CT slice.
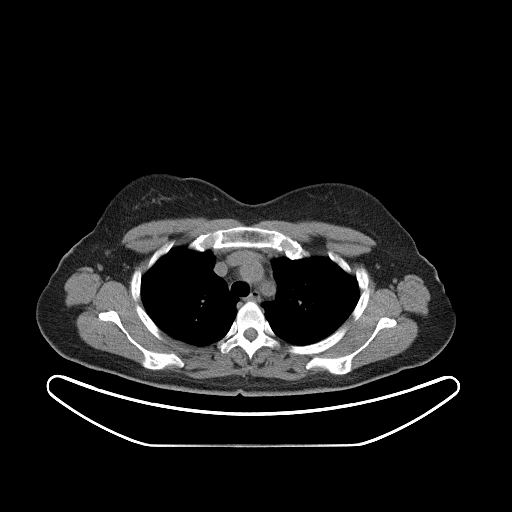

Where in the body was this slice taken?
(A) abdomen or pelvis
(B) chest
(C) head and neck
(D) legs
(B) chest
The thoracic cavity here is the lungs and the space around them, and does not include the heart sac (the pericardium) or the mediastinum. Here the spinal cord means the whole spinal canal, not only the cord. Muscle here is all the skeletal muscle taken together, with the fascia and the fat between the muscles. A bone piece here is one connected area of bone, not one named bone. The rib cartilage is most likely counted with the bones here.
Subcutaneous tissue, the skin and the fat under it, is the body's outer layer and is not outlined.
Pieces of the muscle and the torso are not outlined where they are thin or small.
Outlined structures:
bones 1: (241, 225) (250, 225) (281, 232) (299, 243) (309, 253) (310, 256) (303, 257) (299, 259) (290, 259) (281, 252) (267, 247) (263, 248) (227, 247) (218, 249) (207, 249) (204, 251) (190, 249) (187, 246) (201, 234) (205, 234) (208, 232) (212, 232) (219, 229) (226, 229)
bones 2: (248, 301) (253, 301) (260, 307) (263, 312) (264, 317) (279, 340) (280, 346) (278, 348) (273, 349) (268, 346) (262, 346) (256, 350) (251, 359) (249, 359) (246, 352) (240, 346) (235, 346) (227, 353) (223, 354) (216, 347) (215, 343) (226, 334) (236, 317) (238, 309); inner edge: (249, 328) (253, 328) (256, 331) (256, 332) (257, 333) (257, 334) (256, 335) (256, 336) (253, 339) (252, 339) (251, 340) (250, 340) (249, 339) (248, 339) (246, 337) (245, 337) (245, 336) (244, 335) (244, 332) (247, 329) (248, 329)
bones 3: (384, 316) (395, 319) (396, 324) (377, 332) (352, 358) (352, 369) (348, 373) (333, 374) (319, 366) (307, 369) (306, 364) (315, 354) (294, 354) (287, 351) (289, 345) (316, 343) (346, 324) (347, 330) (340, 340) (316, 355) (326, 358) (347, 355) (369, 338) (379, 319)
bones 4: (109, 310) (117, 312) (122, 325) (136, 342) (150, 351) (164, 353) (173, 352) (181, 359) (184, 364) (183, 366) (179, 367) (175, 365) (168, 365) (158, 370) (143, 367) (141, 364) (144, 359) (143, 353) (127, 338) (114, 322) (109, 320) (101, 320) (98, 317) (100, 312)
bones 5: (328, 250) (332, 251) (343, 258) (353, 271) (357, 267) (364, 267) (368, 273) (369, 279) (368, 287) (370, 292) (369, 298) (365, 308) (356, 320) (353, 320) (351, 316) (351, 313) (360, 296) (360, 289) (356, 277) (353, 274) (343, 270) (335, 262) (331, 260) (327, 256)
bones 6: (138, 266) (140, 266) (142, 272) (141, 283) (140, 284) (140, 300) (138, 303) (143, 307) (144, 310) (149, 317) (161, 330) (161, 335) (163, 339) (159, 339) (157, 338) (146, 327) (140, 319) (136, 311) (135, 308) (136, 302) (133, 299) (131, 295) (130, 280) (134, 269)
bones 7: (172, 239) (174, 239) (175, 240) (175, 243) (174, 244) (174, 246) (172, 247) (169, 250) (168, 252) (162, 255) (152, 265) (152, 266) (150, 268) (146, 270) (146, 266) (152, 254) (157, 249) (158, 249) (165, 243) (166, 243) (168, 241)
muscle 1: (83, 266) (125, 285) (130, 276) (135, 311) (159, 340) (164, 339) (162, 331) (193, 346) (214, 343) (223, 355) (240, 347) (251, 360) (262, 347) (278, 349) (280, 339) (290, 344) (290, 354) (315, 355) (305, 364) (307, 370) (319, 367) (332, 374) (298, 380) (250, 374) (193, 378) (159, 370) (182, 368) (182, 359) (173, 351) (144, 347) (114, 309) (100, 311) (97, 317) (114, 323) (142, 353) (141, 366) (96, 349) (79, 337) (64, 301) (66, 280)
muscle 2: (262, 220) (316, 220) (347, 226) (368, 235) (376, 245) (360, 260) (369, 271) (378, 289) (395, 287) (407, 274) (419, 276) (429, 291) (430, 300) (428, 312) (410, 347) (352, 371) (353, 358) (380, 330) (397, 324) (395, 318) (384, 315) (368, 338) (353, 351) (335, 357) (317, 355) (341, 340) (348, 330) (344, 323) (350, 315) (356, 321) (363, 313) (371, 292) (369, 287) (369, 273) (364, 266) (357, 266) (353, 270) (343, 257) (330, 249) (326, 255) (311, 255) (281, 231) (251, 225)
muscle 3: (196, 216) (204, 216) (208, 218) (233, 218) (245, 224) (219, 228) (201, 233) (187, 245) (175, 246) (176, 240) (172, 238) (151, 254) (143, 273) (140, 265) (136, 266) (132, 272) (138, 256) (133, 251) (121, 244) (124, 234) (129, 229) (140, 223) (156, 219)
torso: (156, 171) (202, 178) (246, 203) (325, 181) (367, 190) (400, 221) (421, 254) (395, 276) (398, 313) (420, 330) (455, 329) (449, 342) (430, 361) (365, 384) (281, 396) (164, 389) (62, 357) (36, 318) (72, 320) (96, 303) (99, 269) (73, 245) (93, 229) (120, 188)
mediastinum: (227, 248) (267, 248) (283, 255) (275, 257) (271, 260) (273, 279) (276, 284) (276, 293) (273, 300) (264, 301) (261, 304) (263, 311) (253, 300) (248, 300) (237, 308) (236, 304) (239, 300) (238, 297) (230, 292) (225, 280) (215, 273) (213, 269) (216, 259) (211, 250)
thoracic cavity 1: (180, 246) (186, 246) (188, 249) (198, 252) (210, 250) (215, 259) (212, 269) (214, 273) (224, 280) (229, 292) (238, 299) (235, 304) (237, 309) (236, 314) (228, 330) (222, 337) (207, 345) (198, 346) (189, 344) (167, 334) (150, 317) (141, 300) (143, 274) (172, 248)
thoracic cavity 2: (282, 256) (290, 260) (299, 260) (311, 256) (326, 256) (343, 271) (355, 277) (359, 289) (359, 296) (349, 316) (331, 334) (316, 342) (303, 345) (291, 344) (276, 335) (265, 317) (262, 304) (264, 302) (273, 301) (276, 298) (277, 293) (277, 284) (274, 279) (272, 260)
spinal cord: (249, 328) (253, 328) (256, 331) (256, 332) (257, 333) (257, 334) (256, 335) (256, 336) (253, 339) (252, 339) (251, 340) (250, 340) (249, 339) (248, 339) (246, 337) (245, 337) (245, 336) (244, 335) (244, 332) (247, 329) (248, 329)
left arm: (421, 255) (425, 257) (438, 269) (439, 278) (444, 285) (445, 292) (448, 296) (456, 314) (456, 325) (455, 328) (447, 330) (424, 330) (420, 329) (414, 326) (405, 319) (399, 313) (397, 309) (394, 297) (394, 284) (396, 276) (399, 270) (408, 261)
right arm: (72, 246) (78, 247) (87, 253) (93, 259) (98, 269) (100, 278) (100, 288) (97, 299) (95, 303) (84, 314) (76, 318) (67, 320) (49, 320) (48, 319) (38, 318) (35, 316) (36, 304) (38, 297) (43, 288) (48, 282) (49, 277) (56, 268) (58, 259)